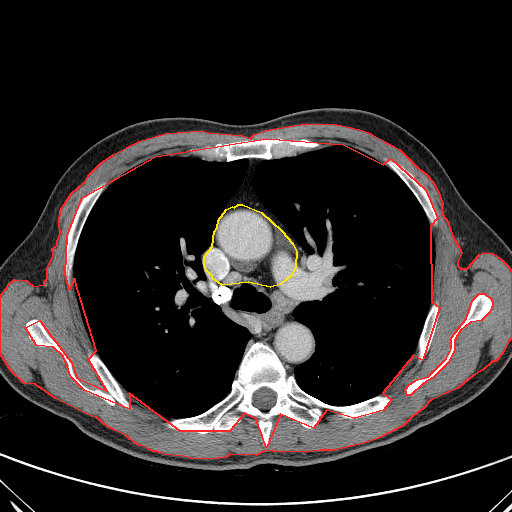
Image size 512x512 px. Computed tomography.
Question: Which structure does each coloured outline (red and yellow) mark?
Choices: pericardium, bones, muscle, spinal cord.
Answer: red: muscle; yellow: pericardium.
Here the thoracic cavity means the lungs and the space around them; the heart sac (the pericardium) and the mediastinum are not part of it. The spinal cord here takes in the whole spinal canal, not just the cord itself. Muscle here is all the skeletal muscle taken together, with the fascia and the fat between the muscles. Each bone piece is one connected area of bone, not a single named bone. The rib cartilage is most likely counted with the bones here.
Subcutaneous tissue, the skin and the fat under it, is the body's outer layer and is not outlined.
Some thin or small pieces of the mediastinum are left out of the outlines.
Outlined structures:
muscle: (306, 123) (336, 124) (359, 129) (368, 132) (399, 149) (418, 168) (426, 174) (432, 181) (437, 190) (442, 203) (441, 207) (442, 214) (447, 221) (452, 236) (459, 247) (461, 253) (457, 261) (457, 265) (460, 268) (467, 268) (479, 254) (484, 252) (492, 253) (501, 259) (507, 265) (511, 271) (511, 338) (508, 341) (502, 353) (495, 361) (492, 361) (482, 370) (473, 375) (457, 388) (430, 400) (423, 408) (412, 416) (402, 426) (378, 438) (363, 443) (333, 450) (320, 450) (306, 452) (273, 451) (272, 450) (264, 451) (256, 455) (230, 454) (225, 457) (211, 459) (190, 458) (183, 456) (163, 454) (156, 451) (152, 451) (141, 445) (138, 445) (125, 435) (108, 427) (96, 417) (89, 415) (55, 398) (35, 384) (24, 383) (11, 371) (0, 354) (0, 295) (7, 287) (8, 284) (14, 279) (26, 280) (33, 286) (44, 284) (44, 281) (47, 278) (47, 267) (53, 256) (52, 248) (57, 245) (57, 241) (60, 233) (59, 223) (60, 210) (71, 193) (85, 181) (88, 175) (100, 163) (113, 154) (138, 141) (165, 133) (201, 130) (208, 132) (242, 135) (250, 138) (254, 134) (264, 130), around holes outlined by (266, 138) (343, 144) (383, 164) (390, 158) (425, 189) (437, 218) (430, 226) (431, 301) (439, 307) (422, 360) (413, 355) (382, 393) (391, 399) (383, 410) (354, 418) (326, 410) (313, 428) (280, 414) (266, 447) (256, 419) (244, 413) (229, 431) (180, 431) (129, 393) (129, 409) (84, 390) (71, 377) (63, 356) (53, 347) (36, 345) (25, 327) (39, 320) (71, 362) (76, 377) (107, 391) (88, 359) (96, 350) (74, 278) (69, 289) (65, 274) (67, 235) (82, 197) (155, 156) and by (479, 293) (484, 293) (491, 299) (492, 304) (489, 312) (481, 320) (470, 322) (460, 330) (454, 340) (454, 350) (447, 363) (433, 377) (423, 383) (410, 395) (407, 395) (405, 389) (409, 384) (417, 379) (428, 376) (446, 358) (451, 348) (451, 337) (466, 318) (472, 300)
pericardium: (238, 204) (242, 204) (261, 212) (281, 230) (292, 243) (296, 251) (295, 266) (291, 275) (280, 284) (270, 287) (248, 282) (222, 285) (212, 278) (212, 276) (206, 270) (204, 264) (204, 256) (212, 246) (214, 231) (217, 227) (218, 220) (226, 209) (232, 206) (234, 207)
torso: (322, 107) (370, 111) (413, 134) (439, 160) (470, 207) (511, 249) (511, 359) (479, 395) (406, 437) (333, 463) (200, 471) (150, 463) (95, 441) (71, 421) (22, 397) (0, 375) (0, 265) (31, 230) (54, 185) (82, 152) (106, 135) (147, 119) (195, 117) (253, 124)
bones 1: (254, 342) (268, 345) (298, 386) (326, 404) (346, 406) (380, 394) (391, 400) (383, 410) (361, 417) (342, 418) (326, 410) (313, 428) (277, 415) (266, 447) (256, 419) (244, 413) (231, 430) (221, 433) (169, 428) (165, 425) (168, 420) (203, 413) (229, 393) (245, 348) with a hole at (263, 387) (266, 387) (267, 388) (269, 388) (271, 390) (272, 390) (275, 393) (275, 396) (276, 397) (276, 398) (275, 399) (275, 403) (268, 409) (265, 409) (264, 410) (263, 410) (262, 409) (260, 409) (258, 407) (255, 406) (253, 404) (253, 394) (257, 390) (258, 390)
bones 2: (266, 138) (304, 138) (317, 141) (322, 144) (328, 144) (324, 147) (312, 149) (292, 156) (284, 156) (271, 159) (253, 157) (241, 158) (231, 161) (217, 161) (203, 159) (199, 156) (189, 153) (191, 148) (198, 148) (207, 144) (212, 145) (215, 143) (227, 143) (248, 139)
bones 3: (34, 318) (41, 322) (47, 333) (59, 344) (71, 362) (74, 374) (88, 388) (107, 391) (88, 359) (88, 351) (94, 351) (127, 393) (132, 408) (129, 409) (117, 401) (114, 405) (111, 405) (80, 387) (71, 377) (65, 359) (55, 348) (38, 346) (29, 338) (25, 325)
bones 4: (103, 181) (106, 182) (107, 186) (100, 194) (91, 208) (81, 230) (77, 242) (77, 246) (75, 250) (74, 258) (73, 259) (71, 284) (69, 289) (66, 281) (66, 275) (65, 274) (64, 253) (65, 252) (67, 235) (70, 228) (70, 225) (75, 214) (76, 209) (82, 197)
bones 5: (479, 293) (484, 293) (491, 299) (492, 304) (489, 312) (481, 320) (470, 322) (460, 330) (454, 340) (454, 350) (447, 363) (433, 377) (423, 383) (410, 395) (407, 395) (405, 389) (409, 384) (417, 379) (428, 376) (446, 358) (451, 348) (451, 337) (466, 318) (472, 300)
bones 6: (383, 158) (390, 158) (393, 159) (402, 165) (408, 171) (409, 171) (422, 185) (425, 189) (434, 207) (435, 214) (437, 218) (437, 224) (436, 226) (432, 226) (430, 225) (429, 221) (424, 212) (424, 210) (417, 200) (416, 197) (401, 178) (392, 169) (385, 164)
bones 7: (436, 299) (439, 303) (439, 307) (438, 308) (438, 318) (435, 327) (435, 331) (426, 354) (422, 360) (420, 362) (418, 362) (417, 359) (414, 357) (414, 354) (416, 351) (417, 344) (421, 332) (423, 329) (424, 323) (427, 314) (429, 311) (430, 306) (432, 302)
spinal cord: (263, 387) (266, 387) (267, 388) (269, 388) (271, 390) (272, 390) (275, 393) (275, 396) (276, 397) (276, 398) (275, 399) (275, 403) (268, 409) (265, 409) (264, 410) (263, 410) (262, 409) (260, 409) (258, 407) (255, 406) (253, 404) (253, 394) (257, 390) (258, 390)
thoracic cavity 1: (164, 154) (191, 155) (217, 162) (248, 160) (243, 180) (220, 212) (211, 241) (200, 255) (200, 261) (206, 278) (207, 295) (224, 314) (244, 326) (250, 338) (228, 393) (203, 412) (173, 418) (138, 402) (113, 376) (88, 335) (73, 277) (82, 230) (101, 194) (130, 168)
thoracic cavity 2: (333, 144) (356, 148) (392, 170) (423, 210) (434, 242) (431, 303) (413, 355) (382, 393) (346, 405) (326, 403) (303, 390) (296, 381) (295, 368) (316, 350) (312, 330) (293, 314) (309, 298) (312, 267) (303, 247) (260, 201) (253, 183) (256, 166) (262, 160) (292, 157)
mediastinum: (253, 158) (261, 159) (252, 181) (259, 201) (311, 267) (308, 298) (292, 314) (311, 330) (315, 350) (293, 374) (268, 344) (247, 345) (250, 331) (208, 295) (201, 261) (211, 242) (203, 264) (222, 286) (270, 288) (294, 272) (297, 251) (265, 214) (238, 203) (220, 216)